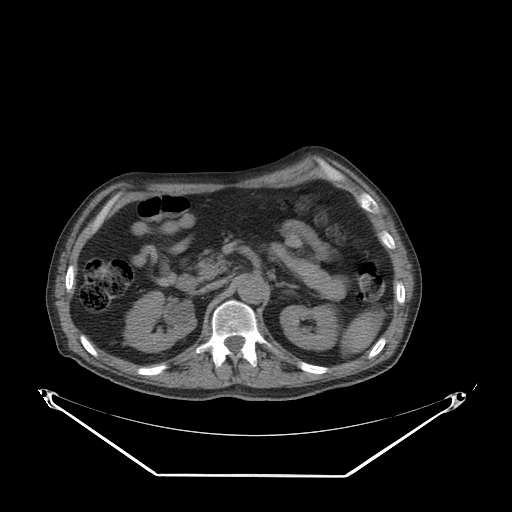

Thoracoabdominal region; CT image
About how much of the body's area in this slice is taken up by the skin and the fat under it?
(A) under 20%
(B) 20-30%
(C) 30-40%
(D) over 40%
Answer: (A) under 20%
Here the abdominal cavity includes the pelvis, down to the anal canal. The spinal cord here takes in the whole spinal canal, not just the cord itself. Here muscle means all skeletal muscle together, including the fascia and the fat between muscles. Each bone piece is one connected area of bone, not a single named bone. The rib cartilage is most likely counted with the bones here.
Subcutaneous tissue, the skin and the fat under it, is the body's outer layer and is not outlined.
Outlines (x, y in pixels):
torso: 306,144 323,145 337,151 371,179 393,204 416,251 422,273 421,302 407,344 391,368 353,385 298,399 249,401 219,397 194,401 124,387 58,352 45,306 48,267 62,228 93,189 130,170 243,169 271,161
spinal cord: 231,336 241,336 242,337 243,337 243,338 244,339 244,342 243,343 243,344 241,346 241,347 237,351 233,351 232,350 231,350 230,349 229,349 229,348 224,343 224,342 225,341 225,340 228,337 230,337
abdominal cavity: 314,178 328,180 355,197 391,261 391,318 361,356 329,366 299,359 257,318 267,285 252,274 242,275 218,299 193,343 157,363 140,365 109,354 94,346 74,322 71,300 80,252 121,207 162,194 290,187
mediastinum: 245,275 257,276 264,280 266,285 266,297 265,298 264,303 262,305 257,316 256,312 250,305 241,300 239,300 235,298 228,298 227,299 225,299 218,303 217,305 217,303 219,299 231,289 238,279
bones 1: 228,299 241,301 253,309 259,332 272,345 272,348 269,348 264,344 256,344 257,363 255,366 244,358 240,357 235,361 227,356 220,366 215,367 209,351 195,352 196,347 206,342 211,335 210,322 214,309, around a hole outlined by 231,336 241,336 242,337 243,337 243,338 244,339 244,342 243,343 243,344 241,346 241,347 237,351 233,351 232,350 231,350 230,349 229,349 229,348 224,343 224,342 225,341 225,340 228,337 230,337
bones 2: 118,192 120,192 121,194 113,204 113,205 110,208 105,218 103,220 103,222 101,224 101,225 93,234 91,234 90,233 90,230 88,228 90,224 94,220 96,215 100,211 102,207 115,194 116,194
bones 3: 316,156 318,157 320,157 331,166 332,166 337,170 343,173 345,175 345,177 346,178 345,180 343,181 331,181 327,179 326,176 320,169 320,167 319,165 314,159 314,157
bones 4: 362,191 363,191 364,192 369,194 374,199 374,200 377,203 377,204 378,205 378,207 379,208 379,211 377,213 372,213 371,212 366,211 360,206 360,204 356,199 356,197 358,195 358,194 360,192 361,192
bones 5: 298,360 301,360 304,362 306,362 310,364 313,364 314,365 319,365 320,366 326,366 328,367 329,369 326,372 324,373 320,373 319,374 317,373 312,373 311,372 304,371 300,369 297,366 297,362
bones 6: 159,364 164,364 168,366 167,368 166,368 162,372 158,374 154,374 153,375 143,375 142,374 139,374 137,373 137,369 140,367 142,367 143,366 145,367 148,367 149,366 154,366 155,365 158,365
bones 7: 383,230 385,230 386,231 387,231 391,235 391,236 393,238 393,239 395,242 395,248 394,249 390,249 389,248 388,248 384,244 383,244 381,242 381,241 379,239 379,238 378,237 378,233 379,232 380,232
bones 8: 71,264 72,265 74,265 74,266 75,267 75,274 74,275 74,281 73,282 73,285 71,288 71,290 69,292 66,290 66,288 65,287 65,276 66,275 66,272 67,271 67,268 68,267 68,266
bones 9: 382,336 383,337 384,337 386,340 386,341 385,342 385,344 384,345 383,348 376,355 373,356 371,358 368,358 368,357 367,356 368,355 368,353 369,352 369,351 374,345 374,344 378,340 378,339
bones 10: 398,281 400,281 403,284 403,285 404,286 404,288 405,289 405,300 404,301 404,302 402,304 400,304 397,301 397,299 396,298 396,294 395,293 395,287 396,286 396,283
bones 11: 81,334 83,334 87,338 87,339 91,343 91,344 94,347 94,348 96,350 96,351 98,354 98,355 96,357 95,356 92,355 90,353 89,353 85,349 85,348 81,343 81,341 80,340 80,335
muscle: 307,153 319,153 324,156 327,156 351,170 365,182 378,195 384,205 387,208 391,217 393,219 395,227 406,249 407,256 412,268 414,284 413,285 412,297 409,303 409,310 407,314 407,319 405,322 403,333 400,341 391,356 387,359 357,373 327,381 319,381 314,384 304,385 298,387 265,387 261,388 260,387 252,387 243,384 234,383 224,387 206,389 205,388 174,388 173,387 165,387 164,386 149,384 140,381 136,381 124,376 116,374 109,370 98,367 88,362 77,353 70,350 68,348 67,338 61,327 59,315 57,311 57,308 55,305 55,301 56,300 54,296 55,279 58,271 59,259 61,253 64,250 64,247 68,239 68,237 82,212 91,200 98,193 110,185 123,180 134,180 140,182 158,182 159,181 232,181 236,180 238,178 250,177 258,174 261,174 264,172 273,171 278,168 280,168 282,166 288,165 297,161; inner edges: 316,156 345,175 345,180 332,182 336,186 355,197 363,191 374,199 379,211 366,213 373,229 377,236 387,231 395,242 394,249 382,245 393,269 393,300 381,335 386,341 376,355 368,358 367,351 330,365 324,373 304,371 297,366 299,359 258,317 259,332 272,348 256,344 255,366 227,356 215,367 209,351 195,352 211,335 211,311 193,343 144,366 167,365 158,374 139,374 142,365 95,346 96,357 85,349 71,313 74,286 66,290 65,276 69,265 77,270 80,252 92,236 88,228 115,194 121,194 107,218 132,201 162,194 290,187 327,179, then 398,281 400,281 403,284 403,285 404,286 404,288 405,289 405,300 404,301 404,302 402,304 400,304 397,301 397,299 396,298 396,294 395,293 395,287 396,286 396,283